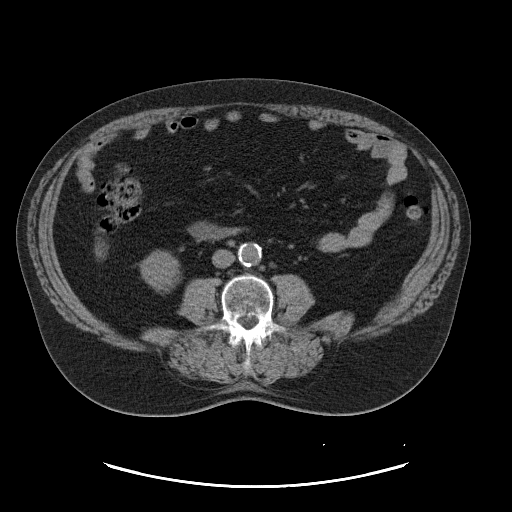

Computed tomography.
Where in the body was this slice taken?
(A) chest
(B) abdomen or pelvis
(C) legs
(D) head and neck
Answer: (B) abdomen or pelvis
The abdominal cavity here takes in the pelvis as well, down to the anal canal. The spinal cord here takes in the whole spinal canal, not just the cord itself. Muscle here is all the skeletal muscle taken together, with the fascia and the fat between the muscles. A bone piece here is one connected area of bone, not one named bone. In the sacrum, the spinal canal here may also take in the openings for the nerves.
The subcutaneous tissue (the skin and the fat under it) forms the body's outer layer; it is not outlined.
The torso is outlined by 233 77; 303 81; 372 99; 420 129; 461 184; 470 214; 471 244; 449 335; 427 375; 386 406; 353 415; 322 415; 241 400; 174 417; 130 415; 105 408; 77 391; 45 348; 15 241; 22 196; 45 153; 75 123; 118 99; 176 83. The spinal cord is outlined by 245 316; 246 316; 247 317; 254 317; 255 318; 256 318; 257 319; 257 322; 252 327; 251 327; 250 328; 246 328; 244 326; 243 326; 238 321; 238 320; 241 317; 244 317. The muscle is outlined by 237 100; 246 100; 247 101; 263 102; 264 103; 276 102; 277 103; 286 103; 287 104; 304 104; 305 105; 309 104; 315 106; 320 105; 323 107; 335 108; 357 113; 364 116; 367 116; 373 120; 384 124; 406 137; 437 164; 439 168; 450 180; 461 211; 461 228; 460 229; 460 246; 459 250; 457 254; 453 270; 437 301; 419 317; 395 330; 393 330; 378 337; 367 339; 363 341; 354 342; 339 348; 318 377; 314 381; 304 387; 299 387; 292 389; 273 388; 267 385; 266 386; 262 385; 250 377; 242 377; 233 383; 229 383; 212 388; 200 387; 199 386; 191 386; 175 377; 162 362; 151 355; 122 349; 88 335; 71 323; 66 321; 56 310; 54 305; 50 301; 40 284; 27 245; 27 218; 28 217; 28 212; 31 204; 31 199; 33 197; 42 177; 58 158; 94 130; 114 119; 119 118; 125 115; 133 114; 136 112; 146 109; 165 107; 166 106; 197 105; 198 104; 207 104; 214 102; 223 102; 224 101; 225 102; 226 101; 236 101, around a hole outlined by 230 105; 401 140; 432 190; 425 253; 369 324; 352 329; 349 310; 300 323; 315 297; 276 274; 286 330; 253 343; 246 369; 242 341; 198 330; 222 317; 218 277; 186 284; 177 313; 192 327; 134 339; 80 300; 53 237; 83 148. The abdominal cavity is outlined by 230 105; 379 132; 422 165; 432 190; 426 250; 369 324; 352 329; 349 310; 300 323; 316 300; 294 273; 271 278; 275 301; 251 273; 225 283; 193 278; 177 313; 194 325; 147 327; 139 339; 73 291; 53 223; 76 156; 108 134. The bones are outlined by 246 274; 267 282; 274 297; 272 320; 286 328; 284 332; 274 331; 261 347; 252 344; 250 364; 246 369; 243 365; 246 350; 242 341; 232 346; 228 343; 228 334; 222 330; 198 330; 221 319; 220 294; 224 285; 232 278; inner edge: 245 316; 246 316; 247 317; 254 317; 255 318; 256 318; 257 319; 257 322; 252 327; 251 327; 250 328; 246 328; 244 326; 243 326; 238 321; 238 320; 241 317; 244 317.